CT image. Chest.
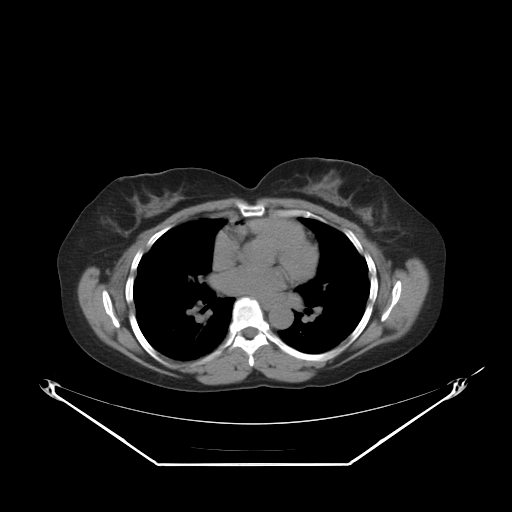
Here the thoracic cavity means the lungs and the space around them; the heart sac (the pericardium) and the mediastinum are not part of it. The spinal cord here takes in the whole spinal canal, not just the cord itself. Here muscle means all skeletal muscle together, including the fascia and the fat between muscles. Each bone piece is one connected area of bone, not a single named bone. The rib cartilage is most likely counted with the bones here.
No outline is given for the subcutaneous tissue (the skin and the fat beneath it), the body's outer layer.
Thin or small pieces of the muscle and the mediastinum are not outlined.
The torso is outlined by 308,156 344,159 365,166 384,177 440,231 446,248 444,303 435,327 417,347 386,364 323,387 262,386 188,392 120,374 93,359 74,341 62,315 57,253 81,210 110,181 123,175 193,166 252,187 275,165. The muscle is outlined by 230,197 239,197 249,203 237,200 234,204 239,213 200,216 173,227 169,224 148,238 144,253 139,248 132,258 129,271 135,271 135,276 131,273 127,276 124,297 128,304 133,303 135,314 130,311 127,317 135,338 156,361 165,366 169,364 160,353 183,362 200,358 195,362 204,364 220,355 223,350 228,348 230,351 238,347 246,353 248,365 252,367 254,353 261,346 271,343 297,359 325,362 348,347 366,327 378,294 378,276 374,260 364,251 354,232 345,227 340,231 320,215 302,208 276,208 269,213 263,202 254,203 261,197 298,198 324,207 357,224 397,266 402,266 408,258 419,258 428,270 430,281 423,304 410,329 396,340 376,345 339,366 321,370 299,382 272,379 253,369 239,382 204,384 187,375 180,378 155,371 104,343 91,328 79,305 77,285 83,271 88,266 111,268 141,232 172,214 189,206 with holes at 398,280 399,280 401,282 401,292 400,293 400,296 397,302 391,309 387,318 384,321 381,321 381,316 382,314 389,306 391,302 391,292 392,291 392,288 394,284 396,282 396,281 and at 103,290 106,290 107,291 111,299 111,301 112,302 112,307 113,308 113,311 114,312 114,314 119,322 119,327 118,328 117,328 113,324 111,318 105,311 105,309 103,305 103,302 102,301 102,291. The bones appear in 9 outlined pieces: piece 1: 344,228 370,255 377,276 370,317 348,346 325,361 297,358 271,342 253,353 252,366 238,346 227,347 204,363 196,362 224,340 233,305 244,296 255,299 270,329 301,352 318,354 345,344 369,302 370,274, around a hole outlined by 247,327 252,327 253,328 255,328 257,330 257,333 253,337 252,337 251,338 247,338 246,337 245,337 242,334 242,331 245,328 246,328; piece 2: 130,312 134,313 136,320 137,321 137,323 138,324 138,326 144,337 157,351 159,356 161,357 168,364 167,365 165,365 159,362 153,357 152,357 140,344 136,338 132,330 132,328 130,325 130,322 128,317; piece 3: 276,209 302,209 303,210 306,210 318,216 320,216 322,218 323,218 327,222 327,223 322,222 312,217 305,217 304,216 278,216 277,215 272,215 270,213 270,212; piece 4: 237,201 239,201 243,203 246,203 247,204 258,204 259,203 263,203 265,206 265,209 266,210 266,212 263,215 261,216 247,216 246,217 245,216 243,216 240,213 238,208 235,204 235,203; piece 5: 398,280 399,280 401,282 401,292 400,293 400,296 397,302 391,309 387,318 384,321 381,321 381,316 382,314 389,306 391,302 391,292 392,291 392,288 394,284 396,282 396,281; piece 6: 103,290 106,290 107,291 111,299 111,301 112,302 112,307 113,308 113,311 114,312 114,314 119,322 119,327 118,328 117,328 113,324 111,318 105,311 105,309 103,305 103,302 102,301 102,291; piece 7: 130,274 131,274 132,275 133,275 134,276 134,280 133,281 133,302 132,302 131,303 128,303 126,301 126,298 125,297 125,284 126,283 126,281 127,280 127,278 128,277 128,276; piece 8: 169,225 171,225 172,226 171,227 171,228 170,228 164,233 163,233 152,244 152,245 148,249 146,246 146,243 147,242 147,241 149,239 149,238 153,234 154,234 156,232 161,230 163,228 164,228; piece 9: 139,249 142,249 143,250 143,254 142,255 142,256 141,257 141,258 137,265 137,267 136,268 136,270 131,272 130,271 130,267 131,266 131,264 132,263 132,261 133,260 133,258 134,257 135,254. The mediastinum appears in 2 outlined pieces: piece 1: 212,267 213,281 226,294 249,295 271,300 287,295 295,287 294,290 301,300 297,302 297,310 293,313 293,323 275,333 264,318 260,304 255,298 244,295 236,299 233,296 217,295 216,291 208,284 208,276; piece 2: 233,214 240,214 243,217 245,217 246,218 247,217 257,217 248,217 247,218 242,218 239,220 237,220 234,222 232,222 229,224 227,224 225,225 227,223 227,220 224,217 219,216 227,216 228,215 232,215. The pericardium is outlined by 271,215 292,218 302,224 313,234 317,242 319,251 315,274 307,281 294,286 289,290 287,294 281,297 271,299 266,299 249,294 232,294 224,292 218,287 212,276 213,251 216,235 225,226 242,219 267,217. The spinal cord is outlined by 247,327 252,327 253,328 255,328 257,330 257,333 253,337 252,337 251,338 247,338 246,337 245,337 242,334 242,331 245,328 246,328. The thoracic cavity appears in 2 outlined pieces: piece 1: 200,217 221,217 226,220 213,240 211,269 207,276 207,284 215,291 217,296 222,298 233,297 235,300 223,340 209,353 196,359 183,361 170,358 159,352 143,334 136,317 134,281 143,255 163,234 180,224; piece 2: 298,217 315,219 342,232 364,258 369,274 368,297 360,319 348,336 335,347 318,353 301,351 286,343 277,334 294,323 294,313 298,310 298,302 302,300 295,288 316,275 320,261 320,247 316,235 301,223.